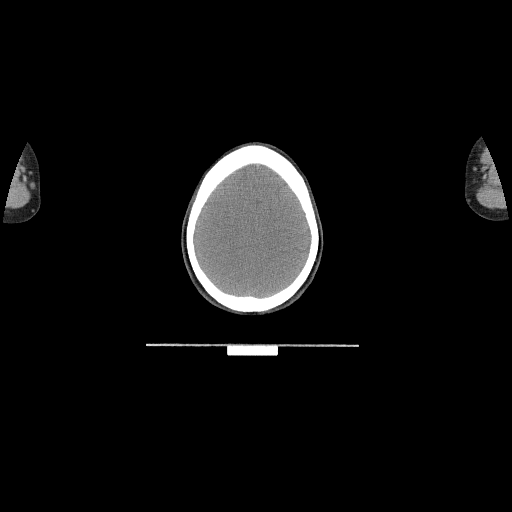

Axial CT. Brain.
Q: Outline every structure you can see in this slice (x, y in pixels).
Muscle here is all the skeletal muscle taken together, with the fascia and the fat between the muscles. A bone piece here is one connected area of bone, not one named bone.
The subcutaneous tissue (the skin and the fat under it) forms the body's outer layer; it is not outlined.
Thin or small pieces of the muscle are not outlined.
A: The left arm is outlined by [[479,136],[482,137],[487,150],[489,152],[489,155],[491,157],[493,165],[495,168],[497,178],[501,186],[501,191],[508,216],[508,219],[506,221],[492,221],[483,218],[472,211],[465,201],[464,197],[464,173],[465,172],[466,160],[472,145]]. The head is outlined by [[253,140],[268,142],[281,148],[293,158],[305,174],[318,206],[323,227],[324,245],[321,261],[314,279],[297,301],[281,311],[268,315],[242,316],[227,313],[212,306],[197,292],[190,281],[183,262],[180,246],[180,231],[188,200],[204,171],[229,148]]. The bones are outlined by [[245,144],[263,144],[272,148],[285,156],[296,167],[303,176],[307,185],[318,226],[319,242],[317,254],[306,280],[289,299],[266,311],[236,311],[216,301],[206,292],[196,278],[191,267],[186,249],[186,225],[188,215],[197,189],[204,174],[224,154]]; inner edge: [[256,164],[269,168],[285,182],[299,203],[309,232],[309,244],[307,254],[301,268],[295,277],[281,289],[269,295],[264,296],[256,296],[250,294],[238,295],[226,292],[218,287],[200,265],[194,241],[198,218],[212,192],[224,179],[235,171],[245,166]]. The right arm is outlined by [[27,142],[29,142],[32,146],[36,154],[39,164],[40,194],[41,195],[40,208],[37,213],[27,221],[21,223],[14,223],[13,224],[4,223],[3,222],[4,210],[6,207],[6,202],[8,199],[8,195],[12,185],[12,180],[16,171],[17,164]]. The muscle appears in 2 outlined pieces: piece 1: [[485,147],[487,148],[487,150],[489,152],[489,155],[491,157],[495,168],[497,178],[501,186],[501,191],[506,207],[504,209],[502,208],[493,210],[488,209],[480,205],[474,197],[472,185],[474,167],[477,163],[478,155],[482,149],[484,149]]; piece 2: [[21,154],[26,157],[29,166],[34,175],[34,182],[35,183],[35,188],[33,191],[34,195],[31,200],[25,206],[18,209],[12,209],[6,205],[6,202],[8,199],[8,195],[12,185],[12,180],[14,177],[14,174],[16,171],[16,167],[20,159]]. The brain is outlined by [[256,164],[269,168],[285,182],[299,203],[309,232],[309,244],[307,254],[301,268],[295,277],[281,289],[269,295],[264,296],[256,296],[250,294],[238,295],[226,292],[218,287],[200,265],[194,241],[198,218],[212,192],[224,179],[235,171],[245,166]].